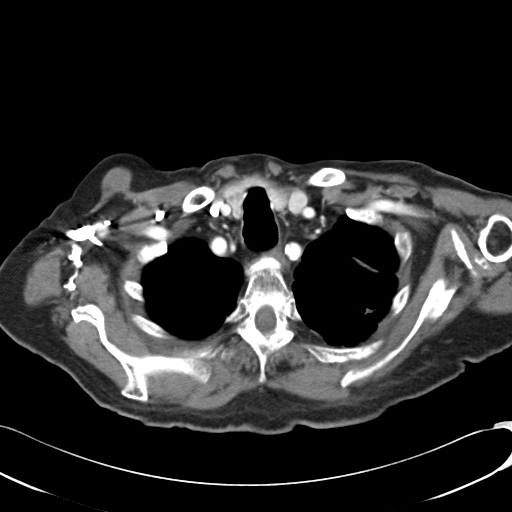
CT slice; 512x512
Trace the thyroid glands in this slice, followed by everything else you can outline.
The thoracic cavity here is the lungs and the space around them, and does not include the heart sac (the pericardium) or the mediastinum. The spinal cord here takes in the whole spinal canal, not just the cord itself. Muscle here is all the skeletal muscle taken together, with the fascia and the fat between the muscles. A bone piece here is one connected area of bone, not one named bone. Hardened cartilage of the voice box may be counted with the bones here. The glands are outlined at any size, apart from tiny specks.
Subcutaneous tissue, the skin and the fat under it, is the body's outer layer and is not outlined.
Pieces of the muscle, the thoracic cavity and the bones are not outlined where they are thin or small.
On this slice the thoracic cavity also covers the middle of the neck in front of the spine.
{"thyroid_glands":[[[249,178],[269,182],[273,184],[276,188],[287,194],[288,197],[284,204],[283,211],[281,213],[273,208],[267,188],[255,184],[243,188],[243,192],[241,195],[242,198],[241,216],[237,219],[234,217],[232,209],[223,196],[223,190],[228,185],[236,184]]],"spinal_cord":[[[264,307],[269,307],[271,309],[271,310],[274,315],[274,318],[275,319],[275,324],[274,325],[274,327],[273,328],[273,329],[270,332],[268,332],[267,333],[263,333],[257,327],[257,326],[256,325],[256,316],[257,315],[257,313],[262,308],[263,308]]],"left_arm":[[[491,190],[501,191],[502,192],[505,192],[506,193],[511,194],[511,314],[510,314],[492,296],[490,292],[490,290],[475,260],[475,257],[474,256],[474,224],[477,218],[479,210],[481,207],[481,204],[483,203],[483,202],[485,200]]],"muscle":[{"outer":[[268,161],[297,173],[318,168],[305,181],[314,187],[344,183],[347,179],[345,172],[335,167],[344,167],[399,172],[425,185],[455,188],[484,198],[511,201],[511,219],[495,212],[479,230],[476,244],[482,256],[471,258],[458,232],[453,227],[449,231],[457,256],[472,275],[478,273],[475,265],[487,269],[488,262],[502,263],[511,258],[511,313],[493,315],[465,310],[438,334],[424,341],[383,381],[359,388],[339,399],[310,400],[263,387],[240,393],[220,408],[200,410],[175,404],[141,402],[149,399],[148,378],[163,373],[181,373],[205,384],[210,373],[201,360],[218,354],[223,360],[228,351],[221,343],[185,348],[176,355],[130,354],[108,339],[102,310],[88,302],[73,307],[70,315],[76,324],[86,321],[93,325],[101,344],[118,361],[127,378],[120,390],[109,377],[74,353],[59,337],[50,322],[47,306],[29,307],[25,303],[23,286],[37,248],[68,232],[97,203],[101,195],[101,180],[114,166],[130,168],[133,172],[132,187],[141,191],[180,180],[201,179],[226,163],[244,173],[261,171]],"holes":[[[249,178],[277,188],[305,189],[340,214],[347,206],[378,213],[379,227],[393,238],[397,231],[410,233],[411,253],[403,263],[399,260],[395,272],[399,290],[410,285],[409,296],[402,309],[395,315],[390,310],[361,344],[381,339],[373,354],[344,362],[319,361],[302,345],[316,342],[296,328],[293,339],[267,356],[265,380],[261,383],[258,356],[231,331],[231,323],[205,337],[185,339],[171,333],[163,338],[150,335],[132,321],[132,314],[148,317],[146,303],[130,296],[122,286],[125,279],[139,282],[142,278],[144,267],[137,258],[138,250],[158,241],[171,244],[204,213],[208,204],[183,212],[182,202],[191,190],[207,185],[214,189],[216,199],[224,199],[226,186]],[[439,278],[443,278],[445,280],[446,286],[448,288],[454,285],[458,286],[442,314],[435,320],[428,318],[425,319],[405,346],[382,367],[370,375],[358,379],[345,387],[342,387],[340,381],[348,370],[361,369],[373,364],[402,342],[412,329],[430,288]]]}],"right_arm":[[[41,221],[46,225],[54,236],[53,246],[52,247],[51,256],[49,260],[48,268],[47,269],[47,272],[46,273],[46,276],[45,277],[45,280],[39,301],[39,305],[20,346],[12,340],[0,328],[0,264],[21,238],[30,229],[36,226]]],"bones":[{"outer":[[262,254],[270,255],[280,262],[281,274],[292,292],[301,322],[295,324],[295,336],[293,339],[267,356],[264,367],[265,380],[261,383],[259,381],[258,356],[238,334],[231,331],[233,325],[231,323],[225,324],[224,320],[234,310],[246,287],[244,266]],"hole":[[264,307],[269,307],[271,309],[271,310],[274,315],[274,318],[275,319],[275,324],[274,325],[274,327],[273,328],[273,329],[270,332],[268,332],[267,333],[263,333],[257,327],[257,326],[256,325],[256,316],[257,315],[257,313],[262,308],[263,308]]},[[88,303],[101,310],[107,339],[130,355],[176,356],[185,349],[220,344],[227,354],[223,359],[218,353],[200,360],[209,373],[205,383],[181,372],[163,372],[147,378],[147,401],[128,398],[120,392],[126,372],[102,344],[96,327],[73,320],[71,310]],[[495,213],[500,213],[511,220],[511,257],[502,262],[488,261],[487,268],[475,264],[474,268],[477,273],[475,275],[472,274],[458,256],[450,231],[453,228],[457,232],[471,259],[474,256],[482,257],[483,255],[477,244],[479,232],[487,223],[488,218]],[[439,278],[443,278],[445,280],[446,286],[448,288],[454,285],[458,286],[442,314],[435,320],[428,318],[425,319],[405,346],[382,367],[370,375],[358,379],[345,387],[342,387],[340,381],[348,370],[361,369],[373,364],[402,342],[412,329],[430,288]],[[378,339],[381,339],[382,340],[382,344],[373,354],[363,359],[360,359],[359,360],[353,359],[344,362],[326,363],[325,362],[319,361],[311,355],[302,345],[303,342],[311,342],[320,345],[332,346],[333,347],[355,347],[356,346],[368,344]],[[201,185],[207,185],[208,186],[210,186],[212,187],[215,191],[215,198],[214,198],[208,204],[197,209],[195,211],[193,212],[190,212],[189,213],[187,213],[185,214],[182,210],[182,202],[185,196],[191,190]],[[325,166],[326,167],[334,167],[335,168],[338,168],[342,170],[344,172],[346,176],[346,179],[345,181],[340,184],[338,184],[337,185],[332,185],[331,186],[314,186],[313,185],[309,185],[307,184],[306,181],[309,176],[319,168],[321,167],[324,167]],[[158,241],[166,241],[167,243],[167,251],[164,254],[158,257],[156,257],[154,259],[153,259],[151,261],[150,261],[148,263],[147,263],[143,266],[140,263],[140,262],[137,258],[137,252],[138,250],[143,245],[145,244],[151,244],[152,243],[155,243]],[[404,230],[407,230],[410,233],[410,235],[411,236],[411,241],[412,242],[412,249],[411,250],[411,253],[409,257],[403,263],[402,263],[401,262],[401,260],[397,253],[397,251],[394,245],[394,235],[397,231],[403,231]],[[132,314],[138,314],[158,324],[168,333],[168,335],[167,337],[164,337],[163,338],[162,337],[156,337],[155,336],[153,336],[152,335],[150,335],[146,333],[144,331],[140,329],[132,321],[131,319],[131,315]],[[347,206],[350,206],[354,208],[359,208],[360,207],[370,212],[373,212],[374,213],[378,213],[380,214],[381,215],[381,223],[380,225],[379,226],[377,225],[371,225],[370,224],[368,224],[361,221],[354,220],[350,218],[345,213],[345,208]],[[406,284],[409,284],[410,285],[410,292],[409,293],[409,296],[408,297],[408,299],[405,305],[402,308],[402,309],[397,314],[394,315],[390,310],[391,309],[391,304],[392,303],[392,300],[394,296],[396,294],[396,293],[403,286],[404,286]],[[125,279],[130,279],[131,280],[133,280],[134,281],[136,281],[140,283],[140,284],[143,288],[143,292],[142,293],[143,294],[143,297],[144,298],[144,301],[143,302],[141,301],[139,301],[133,298],[131,296],[130,296],[124,290],[122,285]]],"torso":[[[117,152],[139,154],[167,170],[242,153],[292,163],[409,159],[489,189],[473,224],[473,256],[491,296],[511,315],[511,347],[468,362],[456,378],[375,419],[348,426],[214,433],[146,426],[101,407],[65,371],[21,346],[40,305],[55,240],[42,219]]],"thoracic_cavity":[[[255,185],[266,188],[280,214],[289,196],[278,188],[305,189],[393,238],[398,290],[363,343],[320,344],[296,328],[302,317],[293,292],[281,262],[267,253],[243,266],[242,294],[205,337],[178,337],[148,318],[144,266],[214,199],[239,219],[244,188]]]}